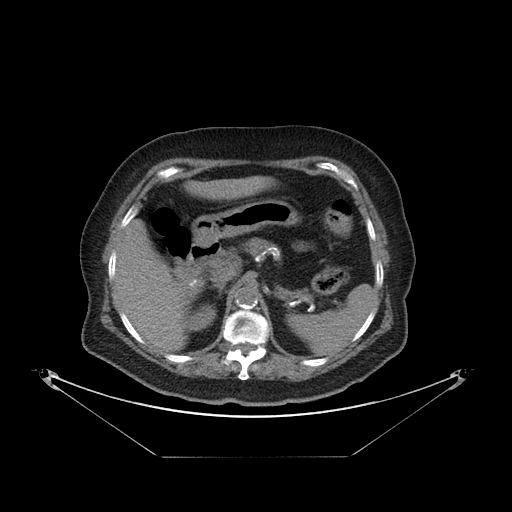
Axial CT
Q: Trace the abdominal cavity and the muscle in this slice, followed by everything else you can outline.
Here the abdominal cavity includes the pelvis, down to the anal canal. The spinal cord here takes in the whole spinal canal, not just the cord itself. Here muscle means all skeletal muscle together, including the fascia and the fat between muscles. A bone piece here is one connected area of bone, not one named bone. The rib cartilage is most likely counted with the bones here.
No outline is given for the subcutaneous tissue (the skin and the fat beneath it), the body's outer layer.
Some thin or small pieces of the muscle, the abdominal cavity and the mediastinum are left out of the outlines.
A: {"abdominal_cavity":[[[237,165],[327,176],[352,196],[365,221],[374,265],[373,307],[351,339],[326,356],[308,358],[277,345],[269,335],[269,323],[252,285],[239,286],[235,291],[215,344],[187,354],[168,353],[148,343],[120,306],[114,284],[120,240],[152,191],[164,182]]],"muscle":[{"outer":[[312,155],[331,157],[348,165],[365,187],[386,229],[391,257],[390,302],[393,314],[393,323],[388,331],[344,363],[308,380],[275,383],[249,379],[248,368],[265,356],[265,345],[269,336],[288,354],[307,358],[299,362],[302,365],[317,367],[325,364],[329,360],[327,356],[350,340],[356,341],[369,328],[377,311],[373,308],[376,299],[375,287],[380,288],[384,282],[382,261],[378,259],[374,264],[372,257],[370,241],[377,238],[374,225],[368,216],[364,219],[353,196],[342,185],[327,175],[259,164],[215,166],[187,177],[162,182],[151,191],[140,208],[133,203],[127,209],[119,223],[119,227],[124,229],[117,251],[111,251],[107,262],[107,276],[110,282],[113,280],[115,295],[121,308],[118,312],[119,318],[137,342],[147,342],[164,352],[163,356],[171,362],[184,363],[195,358],[188,354],[211,348],[222,335],[229,348],[220,362],[229,366],[237,361],[240,364],[237,378],[203,379],[178,375],[137,353],[103,326],[99,316],[103,299],[102,253],[106,234],[126,196],[153,165],[175,157],[277,160]],"holes":[[[318,162],[330,162],[336,165],[339,168],[344,170],[353,178],[354,181],[357,184],[358,189],[355,189],[350,184],[349,184],[347,182],[343,180],[334,172],[330,170],[327,170],[323,168],[320,168],[319,167],[317,167],[315,165],[316,163]],[[170,166],[177,166],[178,167],[181,168],[181,170],[180,171],[179,171],[178,172],[177,172],[176,173],[169,176],[167,178],[166,178],[165,179],[160,178],[157,176],[157,175],[156,174],[157,173],[157,172],[159,170],[161,170],[162,169],[167,168]]]}],"mediastinum":[[[242,286],[252,286],[253,287],[257,294],[257,296],[258,297],[260,305],[262,308],[263,315],[259,312],[257,312],[250,309],[246,309],[245,310],[235,310],[230,313],[231,309],[232,308],[232,302],[233,301],[233,298],[235,295],[235,293],[238,288]]],"bones":[{"outer":[[246,310],[261,314],[268,323],[269,331],[264,345],[266,350],[264,356],[253,361],[248,366],[249,377],[242,380],[238,378],[241,364],[237,360],[233,360],[229,365],[221,362],[221,359],[230,348],[230,344],[224,339],[222,332],[224,321],[231,313]],"hole":[[246,342],[247,342],[250,344],[252,344],[253,345],[254,345],[255,346],[255,348],[254,349],[252,349],[251,350],[250,350],[246,354],[244,354],[242,352],[242,351],[239,348],[238,348],[236,346],[238,344],[240,344],[241,343],[245,343]]},[[318,162],[330,162],[336,165],[339,168],[344,170],[353,178],[354,181],[357,184],[358,189],[355,189],[350,184],[349,184],[347,182],[343,180],[334,172],[330,170],[327,170],[323,168],[320,168],[319,167],[317,167],[315,165],[316,163]],[[120,311],[122,311],[125,314],[125,315],[127,317],[130,323],[133,326],[135,330],[145,341],[145,343],[140,343],[138,341],[137,341],[128,332],[128,331],[124,326],[120,318],[120,316],[119,315],[119,312]],[[373,309],[375,309],[376,310],[375,312],[375,315],[371,323],[369,325],[368,328],[363,333],[363,334],[361,336],[360,336],[356,340],[354,341],[352,341],[351,340],[353,336],[361,327],[361,326],[365,321],[366,318],[368,316],[370,312]],[[133,204],[134,204],[139,209],[139,210],[138,211],[138,212],[130,220],[130,221],[124,227],[123,227],[122,228],[121,227],[120,227],[120,223],[121,222],[121,220],[123,218],[123,217],[124,216],[124,215],[126,213],[126,212],[128,210],[128,209]],[[378,260],[380,260],[381,261],[381,263],[382,264],[382,266],[383,267],[383,282],[382,283],[382,285],[380,287],[377,287],[376,286],[376,285],[375,284],[375,263]],[[170,166],[177,166],[178,167],[181,168],[181,170],[180,171],[179,171],[178,172],[177,172],[176,173],[169,176],[167,178],[166,178],[165,179],[160,178],[157,176],[157,175],[156,174],[157,173],[157,172],[159,170],[161,170],[162,169],[167,168]],[[113,250],[114,250],[116,252],[116,261],[115,262],[115,274],[114,275],[114,277],[113,278],[113,279],[112,280],[112,281],[110,281],[110,280],[109,279],[109,277],[108,276],[108,262],[109,261],[109,258],[110,257],[110,255],[111,254],[111,253]],[[166,353],[167,353],[168,354],[177,354],[178,355],[188,355],[189,356],[191,356],[194,358],[192,360],[189,360],[188,361],[185,361],[184,362],[174,362],[173,361],[171,361],[170,360],[169,360],[168,359],[167,359],[164,356],[164,355]],[[323,357],[327,357],[328,358],[328,360],[325,363],[324,363],[323,364],[322,364],[321,365],[318,365],[317,366],[311,366],[310,365],[305,365],[304,364],[302,364],[300,362],[302,360],[303,360],[304,359],[314,359],[315,358],[322,358]],[[367,217],[368,217],[370,219],[370,220],[373,225],[373,228],[374,229],[374,231],[375,232],[375,235],[376,236],[376,238],[375,239],[375,240],[371,240],[368,235],[368,232],[367,231],[367,228],[366,227],[366,221],[365,220]]],"spinal_cord":[[[246,342],[247,342],[250,344],[252,344],[253,345],[254,345],[255,346],[255,348],[254,349],[252,349],[251,350],[250,350],[246,354],[244,354],[242,352],[242,351],[239,348],[238,348],[236,346],[238,344],[240,344],[241,343],[245,343]]],"torso":[[[286,124],[316,125],[348,134],[370,147],[396,179],[416,257],[406,297],[408,338],[401,352],[340,393],[277,406],[232,402],[213,405],[163,395],[88,353],[80,339],[87,291],[81,275],[79,243],[89,213],[119,164],[139,146],[169,132],[207,126]]]}